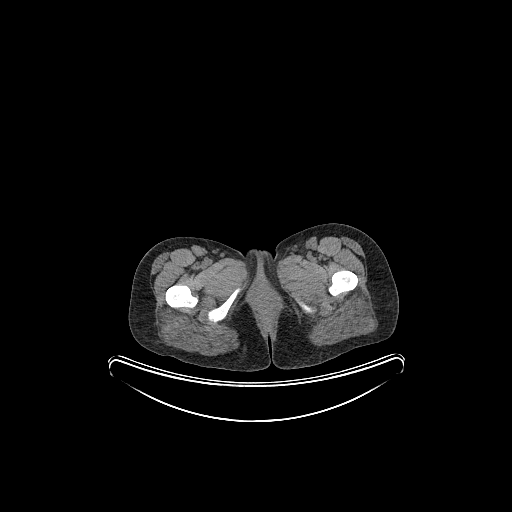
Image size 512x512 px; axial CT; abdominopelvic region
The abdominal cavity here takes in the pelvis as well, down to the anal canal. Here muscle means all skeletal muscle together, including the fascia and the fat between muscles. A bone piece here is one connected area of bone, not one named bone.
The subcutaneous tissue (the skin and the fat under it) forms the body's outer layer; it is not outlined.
{"torso":[[[330,222],[363,231],[387,259],[399,297],[397,324],[387,339],[314,366],[280,369],[271,363],[267,368],[248,372],[200,367],[161,356],[142,347],[132,336],[128,308],[134,272],[156,243],[193,236],[221,242],[243,253],[250,248],[272,252],[286,237]]],"bones":[[[176,283],[187,285],[190,288],[192,294],[194,296],[196,296],[197,297],[198,299],[198,301],[196,305],[194,307],[192,308],[189,308],[188,307],[179,307],[178,308],[173,308],[169,306],[167,304],[165,300],[165,291],[170,286]],[[341,269],[347,269],[355,273],[358,277],[358,283],[356,287],[354,289],[350,291],[348,291],[347,292],[342,292],[334,296],[332,295],[329,292],[328,290],[328,288],[331,284],[331,276],[334,272],[338,270],[340,270]],[[238,287],[240,287],[241,289],[240,291],[237,294],[234,300],[232,302],[225,317],[223,319],[217,322],[212,322],[210,321],[207,317],[207,313],[208,311],[220,305],[232,293],[232,292],[236,288]],[[296,299],[297,299],[298,300],[299,300],[300,301],[301,301],[302,302],[305,303],[307,305],[310,306],[314,310],[313,311],[313,312],[310,312],[309,313],[308,313],[307,312],[304,311],[300,307],[300,306],[298,304],[298,303],[297,302]]],"muscle":[{"outer":[[325,234],[345,234],[362,247],[368,263],[366,284],[378,321],[374,331],[334,344],[316,346],[306,337],[297,314],[284,306],[277,321],[275,338],[267,333],[263,339],[246,301],[231,315],[230,320],[239,331],[240,342],[232,351],[207,356],[159,343],[155,339],[156,301],[149,282],[152,262],[159,254],[186,242],[211,245],[243,261],[250,282],[265,275],[289,306],[291,304],[276,280],[274,270],[277,262],[299,239]],"holes":[[[262,279],[264,279],[265,281],[268,283],[268,285],[272,289],[277,297],[279,303],[279,309],[274,316],[273,321],[270,323],[269,326],[266,326],[262,324],[260,318],[257,313],[257,311],[252,303],[252,299],[251,298],[251,291],[254,284],[257,281]],[[176,283],[187,285],[190,288],[192,294],[194,296],[196,296],[197,297],[198,299],[198,301],[196,305],[194,307],[192,308],[189,308],[188,307],[179,307],[178,308],[173,308],[169,306],[167,304],[165,300],[165,291],[170,286]],[[341,269],[347,269],[355,273],[358,277],[358,283],[356,287],[354,289],[350,291],[348,291],[347,292],[342,292],[334,296],[332,295],[329,292],[328,290],[328,288],[331,284],[331,276],[334,272],[338,270],[340,270]],[[238,287],[240,287],[241,289],[240,291],[237,294],[234,300],[232,302],[225,317],[223,319],[217,322],[212,322],[210,321],[207,317],[207,313],[208,311],[220,305],[232,293],[232,292],[236,288]],[[296,299],[297,299],[298,300],[299,300],[300,301],[301,301],[302,302],[305,303],[307,305],[310,306],[314,310],[313,311],[313,312],[310,312],[309,313],[308,313],[307,312],[304,311],[300,307],[300,306],[298,304],[298,303],[297,302]]]}],"abdominal_cavity":[[[262,279],[264,279],[265,281],[268,283],[268,285],[272,289],[277,297],[279,303],[279,309],[274,316],[273,321],[270,323],[269,326],[266,326],[262,324],[260,318],[257,313],[257,311],[252,303],[252,299],[251,298],[251,291],[254,284],[257,281]]]}